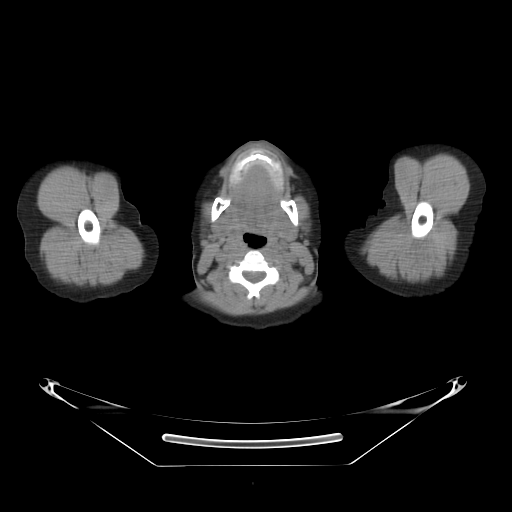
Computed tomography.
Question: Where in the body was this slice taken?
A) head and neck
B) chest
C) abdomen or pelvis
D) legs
Answer: A) head and neck
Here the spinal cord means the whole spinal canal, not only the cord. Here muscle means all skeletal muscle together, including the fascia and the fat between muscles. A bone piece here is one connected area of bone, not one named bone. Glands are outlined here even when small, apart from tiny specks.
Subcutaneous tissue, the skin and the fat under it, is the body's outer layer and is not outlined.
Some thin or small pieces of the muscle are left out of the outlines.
{"left_arm":[[[430,141],[447,142],[469,153],[483,172],[486,191],[475,227],[470,257],[461,278],[438,296],[408,299],[388,293],[366,280],[345,258],[342,240],[349,228],[362,226],[369,213],[375,213],[378,207],[384,205],[382,190],[388,180],[390,156],[404,146]]],"muscle":[{"outer":[[254,143],[265,144],[279,153],[301,180],[303,194],[310,205],[311,218],[303,217],[299,222],[297,204],[292,198],[281,198],[279,205],[291,223],[299,227],[306,242],[309,234],[312,229],[312,220],[312,245],[311,252],[314,268],[311,275],[311,286],[313,290],[304,300],[290,307],[266,314],[232,316],[207,306],[192,296],[199,287],[197,272],[199,239],[207,239],[211,234],[204,218],[200,215],[200,208],[219,170],[237,153]],"holes":[[[250,249],[258,249],[264,258],[278,269],[279,273],[278,280],[274,284],[268,284],[264,286],[260,290],[259,297],[257,299],[254,297],[249,299],[247,297],[247,289],[239,283],[231,282],[228,277],[228,267],[233,264],[236,260],[240,260]],[[253,149],[260,149],[263,154],[279,163],[282,171],[282,184],[279,176],[277,174],[272,174],[269,170],[268,165],[258,160],[248,163],[240,172],[239,179],[234,177],[232,181],[230,181],[230,176],[233,172],[233,168],[236,162],[247,156]],[[217,196],[220,196],[221,197],[222,197],[223,198],[230,198],[230,203],[229,204],[229,205],[219,215],[219,216],[213,222],[212,222],[211,221],[211,207],[212,206],[212,204],[213,203],[213,201],[214,200],[214,199]],[[219,220],[224,220],[226,222],[226,223],[228,225],[228,228],[227,229],[227,231],[226,232],[226,234],[225,235],[224,235],[223,236],[216,236],[215,235],[214,235],[214,233],[213,232],[213,229],[212,228],[212,226],[217,221],[218,221]],[[246,234],[253,234],[256,236],[261,236],[262,237],[265,238],[265,242],[263,244],[262,244],[261,245],[259,245],[257,247],[253,247],[251,245],[250,245],[250,244],[249,243],[248,243],[248,242],[247,241],[246,241],[244,239],[244,236]],[[286,221],[288,221],[289,222],[289,223],[290,224],[290,225],[291,226],[291,227],[292,228],[292,229],[294,232],[294,234],[292,237],[292,239],[289,239],[288,238],[286,238],[284,236],[282,236],[279,233],[279,226],[282,223],[283,223]]]},{"outer":[[65,164],[96,171],[104,170],[115,176],[120,201],[120,210],[117,218],[130,228],[143,244],[146,256],[141,267],[137,270],[127,271],[114,284],[78,287],[58,283],[46,272],[39,257],[40,239],[48,221],[37,208],[37,190],[41,180],[50,170]],"hole":[[85,208],[88,208],[92,210],[96,215],[99,222],[99,225],[100,226],[100,229],[101,230],[100,231],[100,238],[99,239],[99,242],[98,244],[96,245],[88,244],[84,242],[78,231],[78,227],[77,226],[77,219],[78,218],[78,215],[79,213]]},{"outer":[[440,151],[449,152],[459,158],[465,165],[470,178],[470,191],[457,217],[456,227],[459,234],[455,257],[440,278],[432,278],[423,283],[390,280],[381,275],[376,267],[368,265],[358,249],[376,226],[401,207],[394,187],[395,160],[404,154],[422,160]],"hole":[[420,201],[426,201],[431,205],[432,207],[432,209],[433,210],[433,224],[432,225],[432,227],[431,229],[425,236],[421,238],[415,238],[413,237],[411,234],[411,220],[412,219],[412,216],[413,215],[414,210],[416,207],[416,205],[418,203],[418,202]]}],"parotid_glands":[[[303,218],[307,218],[308,219],[311,219],[311,224],[310,225],[311,226],[311,229],[308,234],[308,236],[307,237],[307,239],[306,241],[305,239],[305,235],[302,232],[299,226],[299,223],[300,222],[300,220],[301,220]],[[200,216],[201,216],[203,218],[203,219],[204,220],[204,221],[205,222],[205,223],[207,225],[207,226],[208,227],[208,228],[209,229],[209,231],[210,232],[210,234],[208,236],[208,237],[207,238],[199,238],[199,223],[200,222]]],"head_and_neck":[{"outer":[[256,139],[267,140],[276,145],[305,166],[311,175],[318,193],[321,222],[317,284],[326,292],[323,304],[295,323],[258,331],[221,324],[181,300],[184,296],[194,292],[195,285],[191,269],[190,238],[195,191],[205,170],[211,164],[225,158],[245,142]],"hole":[[246,234],[253,234],[256,236],[261,236],[262,237],[265,238],[265,242],[263,244],[262,244],[261,245],[259,245],[257,247],[253,247],[251,245],[250,245],[250,244],[249,243],[248,243],[248,242],[247,241],[246,241],[244,239],[244,236]]}],"submandibular_glands":[[[219,220],[224,220],[226,222],[226,223],[228,225],[228,228],[227,229],[227,231],[226,232],[226,234],[225,235],[224,235],[223,236],[216,236],[215,235],[214,235],[214,233],[213,232],[213,229],[212,228],[212,226],[217,221],[218,221]],[[286,221],[288,221],[289,222],[289,223],[290,224],[290,225],[291,226],[291,227],[292,228],[292,229],[294,232],[294,234],[292,237],[292,239],[289,239],[288,238],[286,238],[284,236],[282,236],[279,233],[279,226],[282,223],[283,223]]],"spinal_cord":[[[244,271],[249,271],[250,272],[264,272],[265,273],[265,276],[261,280],[260,280],[259,281],[257,281],[256,282],[251,282],[250,281],[249,281],[247,279],[246,279],[244,277],[244,276],[243,275],[243,272]]],"bones":[{"outer":[[250,249],[258,249],[264,258],[278,269],[279,273],[278,280],[274,284],[268,284],[264,286],[260,290],[259,297],[257,299],[254,297],[249,299],[247,297],[247,289],[239,283],[231,282],[228,277],[228,267],[233,264],[236,260],[240,260]],"hole":[[244,271],[249,271],[250,272],[264,272],[265,273],[265,276],[261,280],[260,280],[259,281],[257,281],[256,282],[251,282],[250,281],[249,281],[247,279],[246,279],[244,277],[244,276],[243,275],[243,272]]},[[420,201],[426,201],[431,205],[432,207],[432,209],[433,210],[433,224],[432,225],[432,227],[431,229],[425,236],[421,238],[415,238],[413,237],[411,234],[411,220],[412,219],[412,216],[413,215],[414,210],[416,207],[416,205],[418,203],[418,202]],[[85,208],[88,208],[92,210],[96,215],[99,222],[99,225],[100,226],[100,229],[101,230],[100,231],[100,238],[99,239],[99,242],[98,244],[96,245],[88,244],[84,242],[78,231],[78,227],[77,226],[77,219],[78,218],[78,215],[79,213]],[[253,149],[260,149],[263,154],[279,163],[282,171],[282,184],[279,176],[277,174],[272,174],[269,170],[268,165],[258,160],[248,163],[240,172],[239,179],[234,177],[232,181],[230,181],[230,176],[233,172],[233,168],[236,162],[247,156]],[[281,199],[284,199],[285,200],[289,200],[290,199],[292,199],[294,200],[296,204],[296,207],[297,208],[297,211],[298,212],[298,225],[297,226],[295,226],[292,223],[292,222],[290,220],[286,212],[281,207],[280,205],[280,200]],[[217,196],[220,196],[221,197],[222,197],[223,198],[230,198],[230,203],[229,204],[229,205],[219,215],[219,216],[213,222],[212,222],[211,221],[211,207],[212,206],[212,204],[213,203],[213,201],[214,200],[214,199]]],"right_arm":[[[70,155],[94,158],[115,167],[121,175],[124,197],[136,206],[141,221],[154,229],[159,240],[159,259],[149,280],[129,293],[113,299],[98,299],[79,304],[59,298],[38,283],[24,258],[24,239],[16,217],[16,203],[21,187],[28,176],[44,162]]]}